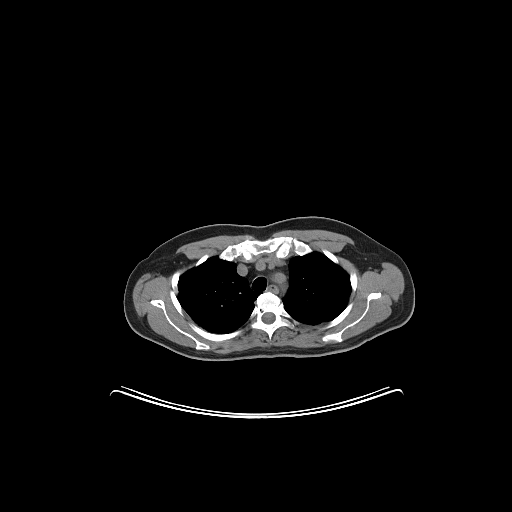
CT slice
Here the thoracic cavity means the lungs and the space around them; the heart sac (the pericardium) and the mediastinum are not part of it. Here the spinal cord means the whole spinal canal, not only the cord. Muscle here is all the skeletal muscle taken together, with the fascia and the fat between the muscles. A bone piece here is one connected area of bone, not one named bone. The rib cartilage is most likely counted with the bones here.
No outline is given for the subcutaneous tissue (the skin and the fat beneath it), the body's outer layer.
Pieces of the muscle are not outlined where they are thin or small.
Outlines:
torso: [[297,216],[323,216],[350,224],[393,250],[404,260],[415,289],[413,312],[404,325],[354,349],[340,353],[318,357],[273,357],[231,361],[188,358],[143,338],[131,329],[123,308],[126,282],[138,262],[157,246],[184,231],[208,224],[232,223],[263,226]]
muscle 1: [[289,229],[322,229],[350,237],[354,244],[348,244],[340,254],[362,273],[382,262],[390,262],[399,268],[404,278],[404,290],[400,299],[386,319],[369,329],[345,340],[342,336],[366,315],[370,302],[382,296],[380,291],[367,294],[365,307],[359,316],[339,330],[326,332],[321,336],[323,342],[335,343],[319,347],[257,346],[224,354],[216,353],[209,350],[211,346],[208,343],[179,327],[169,316],[161,298],[153,298],[149,303],[161,309],[167,322],[194,342],[194,348],[160,337],[137,315],[132,298],[133,288],[143,274],[157,273],[163,276],[171,274],[169,296],[173,306],[181,316],[185,312],[189,316],[193,321],[188,323],[189,327],[207,341],[222,342],[235,338],[242,333],[242,329],[239,328],[248,321],[251,329],[265,332],[269,340],[280,327],[293,329],[301,323],[313,326],[325,323],[323,328],[330,329],[338,325],[347,317],[354,305],[349,300],[357,289],[357,273],[354,270],[348,272],[340,265],[339,258],[325,248],[322,248],[321,252],[314,250],[307,243],[290,235],[269,237],[274,232]]
muscle 2: [[244,234],[252,235],[256,238],[254,239],[246,238],[239,242],[229,244],[217,255],[210,256],[208,253],[205,253],[193,263],[192,267],[185,271],[181,269],[176,269],[183,266],[187,262],[182,254],[176,254],[175,252],[180,246],[186,243],[218,235]]
thoracic cavity 1: [[213,256],[217,256],[221,260],[229,262],[232,261],[236,266],[236,272],[247,280],[249,288],[254,292],[260,292],[254,301],[254,305],[247,321],[237,329],[230,332],[210,332],[199,326],[184,310],[177,296],[178,282],[181,275],[187,270],[202,264]]
thoracic cavity 2: [[313,251],[322,253],[332,262],[341,266],[348,273],[351,288],[351,293],[349,296],[348,303],[336,316],[326,322],[322,322],[313,325],[300,322],[294,318],[285,309],[282,301],[282,298],[286,295],[290,286],[289,262],[291,258],[296,255],[304,256]]
mediastinum: [[291,252],[295,255],[291,257],[288,262],[289,286],[287,292],[281,299],[271,291],[266,290],[261,292],[251,289],[248,280],[237,272],[237,266],[233,261],[238,257],[242,257],[244,260],[250,261],[259,253],[273,253],[276,258],[281,259],[286,258]]
bones 1: [[280,236],[294,237],[307,244],[313,250],[304,255],[297,255],[293,251],[291,251],[286,257],[278,258],[273,252],[259,252],[254,255],[250,260],[246,260],[242,256],[238,256],[231,261],[221,259],[218,256],[229,245],[239,243],[246,239],[263,240]]
bones 2: [[266,291],[271,292],[279,297],[283,304],[284,309],[294,319],[300,323],[295,325],[293,328],[280,326],[273,332],[271,339],[269,339],[265,331],[258,328],[251,328],[249,326],[250,322],[248,320],[255,305],[255,301],[257,297],[261,293]], around a hole outlined by [[267,312],[270,312],[271,313],[272,313],[274,315],[274,319],[273,320],[273,321],[272,322],[271,322],[270,323],[266,323],[265,322],[264,322],[263,321],[263,320],[262,319],[262,317],[263,316],[263,315],[265,313],[266,313]]
bones 3: [[371,292],[380,292],[381,296],[376,299],[372,299],[369,302],[369,307],[365,315],[357,323],[347,328],[342,333],[341,336],[343,340],[340,342],[333,340],[329,340],[326,342],[323,341],[323,335],[326,333],[339,331],[361,315],[366,307],[367,296]]
bones 4: [[153,299],[161,299],[164,303],[166,312],[170,319],[182,330],[191,334],[199,341],[202,341],[208,344],[210,346],[210,349],[208,350],[196,349],[195,348],[195,342],[190,337],[179,332],[172,326],[166,319],[163,310],[161,308],[150,303],[150,301]]
bones 5: [[190,322],[193,322],[195,323],[199,327],[210,333],[223,334],[224,333],[230,333],[238,329],[241,329],[241,333],[235,337],[233,337],[229,339],[226,339],[222,341],[212,341],[211,340],[207,340],[195,332],[190,327],[189,325],[189,323]]
bones 6: [[176,270],[181,270],[183,272],[180,275],[177,282],[177,294],[176,295],[177,299],[181,307],[184,311],[183,315],[181,315],[178,312],[174,306],[172,302],[171,297],[170,296],[170,291],[172,289],[172,287],[171,286],[171,277],[172,276],[173,272]]
bones 7: [[349,302],[352,302],[353,303],[353,305],[352,306],[349,313],[346,316],[346,317],[338,324],[337,324],[330,328],[324,328],[324,326],[325,325],[325,324],[327,322],[330,321],[332,319],[333,319],[335,317],[336,317],[347,306],[347,305],[349,303]]
bones 8: [[351,271],[354,271],[356,273],[356,276],[357,277],[357,285],[356,286],[356,289],[355,290],[355,291],[354,292],[353,292],[352,293],[352,288],[351,287],[351,283],[350,282],[350,278],[349,277],[349,273]]
bones 9: [[322,249],[325,249],[326,250],[327,250],[328,251],[329,251],[330,252],[331,252],[333,254],[334,254],[338,258],[338,260],[339,261],[339,264],[338,264],[337,263],[335,263],[333,261],[332,261],[329,258],[328,258],[322,252]]
bones 10: [[205,254],[208,254],[209,255],[209,257],[207,259],[206,259],[202,263],[201,263],[200,264],[199,264],[198,265],[197,265],[196,266],[194,266],[194,263],[197,260],[198,260],[203,255],[204,255]]
spinal cord: [[267,312],[270,312],[271,313],[272,313],[274,315],[274,319],[273,320],[273,321],[272,322],[271,322],[270,323],[266,323],[265,322],[264,322],[263,321],[263,320],[262,319],[262,317],[263,316],[263,315],[265,313],[266,313]]